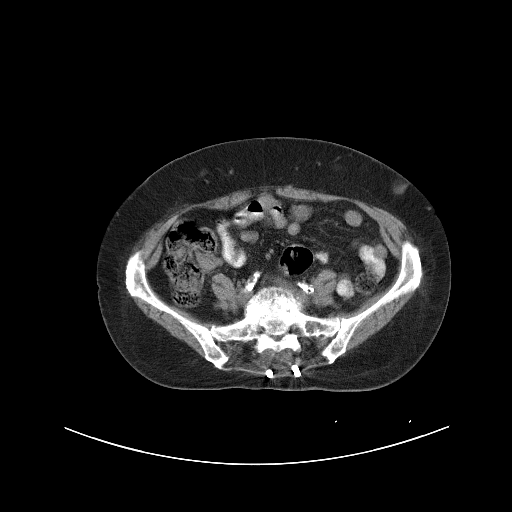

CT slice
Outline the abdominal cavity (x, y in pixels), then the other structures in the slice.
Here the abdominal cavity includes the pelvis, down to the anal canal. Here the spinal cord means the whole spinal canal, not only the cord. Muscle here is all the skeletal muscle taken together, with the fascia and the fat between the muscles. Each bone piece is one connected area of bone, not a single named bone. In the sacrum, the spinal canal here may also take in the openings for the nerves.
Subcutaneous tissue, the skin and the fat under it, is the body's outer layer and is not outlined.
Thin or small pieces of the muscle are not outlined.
Outlines:
abdominal cavity: 261,191 359,207 377,222 385,246 399,262 391,283 355,309 333,310 326,316 305,313 299,295 274,284 261,287 248,299 242,318 225,324 203,320 166,302 153,289 148,274 176,218 195,208 227,210; inner edge: 324,269 329,269 330,270 332,270 335,274 335,276 334,277 334,285 333,286 333,290 331,294 332,296 332,299 333,300 333,305 316,306 314,305 313,303 313,296 314,295 314,285 312,283 312,279
muscle 1: 260,184 290,184 298,188 354,198 369,205 386,210 397,217 406,226 416,244 421,249 422,264 425,271 425,280 421,290 418,291 381,329 351,352 337,359 346,352 347,346 354,332 363,320 380,307 402,295 413,292 420,285 423,271 419,248 410,240 403,240 400,245 399,261 386,246 382,238 378,222 356,204 339,199 327,201 294,199 279,195 273,190 258,191 227,209 195,207 176,217 161,238 161,252 147,276 146,265 143,258 144,252 142,249 135,250 128,256 126,261 126,259 135,243 155,223 165,220 175,209 184,204 204,202 237,190 256,187
muscle 2: 299,337 320,338 321,340 329,339 320,352 325,358 327,365 316,368 309,375 299,377 266,377 248,375 234,370 223,370 230,357 218,343 255,341 254,349 259,354 267,349 276,353 286,349 296,352 301,349
muscle 3: 124,267 124,285 129,295 131,297 140,299 147,304 154,307 159,311 164,312 176,319 198,342 203,352 203,358 200,357 185,342 171,335 161,325 146,316 136,305 133,300 126,294 123,284 124,281
muscle 4: 324,269 329,269 330,270 332,270 335,274 335,276 334,277 334,285 333,286 333,290 331,294 332,296 332,299 333,300 333,305 316,306 314,305 313,303 313,296 314,295 314,285 312,283 312,279
muscle 5: 218,273 221,273 227,276 233,282 235,289 236,290 236,294 237,295 235,302 225,309 217,307 215,305 215,303 218,300 218,299 216,297 214,292 212,290 212,277 215,274 217,274
muscle 6: 396,274 397,274 396,278 390,287 373,303 362,311 347,317 339,316 338,315 335,315 331,317 327,316 333,311 335,312 338,311 350,312 355,310 361,306 362,304 367,300 378,293 380,293 385,290 392,283
muscle 7: 166,303 170,305 175,306 178,308 180,308 182,310 184,310 192,314 194,316 197,317 199,319 203,321 216,321 217,322 219,322 221,324 215,324 213,323 209,327 208,327 199,322 194,321 180,314
bones: 405,240 419,251 419,285 363,319 331,364 321,354 329,338 299,336 296,351 218,342 229,357 218,369 176,318 125,285 126,262 142,250 156,296 208,328 242,319 271,285 299,296 305,314 347,318 394,283 with a hole at 270,335 282,335 282,336 281,337 281,338 279,340 275,340
spinal cord 1: 270,335 282,335 282,336 281,337 281,338 279,340 275,340
spinal cord 2: 293,326 294,326 295,327 296,327 296,328 297,329 297,330 296,331 296,332 295,332 294,333 293,333 292,332 291,332 291,331 290,330 290,329 291,328 291,327 292,327
spinal cord 3: 261,327 262,327 263,328 264,328 264,329 265,330 265,331 264,332 264,333 263,333 262,334 261,334 260,333 259,333 259,332 258,331 258,330 259,329 259,328 260,328
torso: 267,136 321,139 359,150 407,178 435,209 449,246 449,300 442,323 431,345 417,364 395,382 366,391 174,389 158,385 143,377 127,363 113,344 99,309 96,260 104,231 115,210 151,173 177,157 223,141